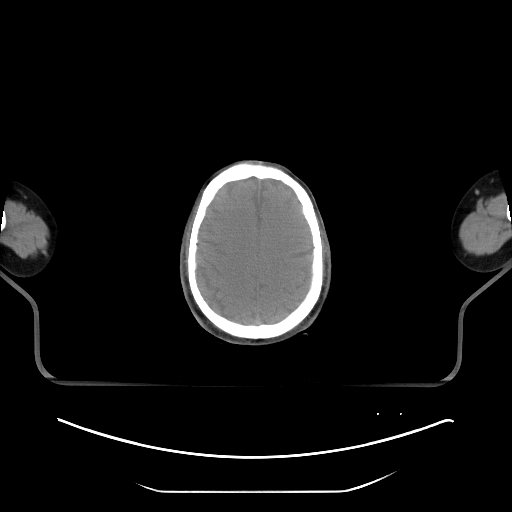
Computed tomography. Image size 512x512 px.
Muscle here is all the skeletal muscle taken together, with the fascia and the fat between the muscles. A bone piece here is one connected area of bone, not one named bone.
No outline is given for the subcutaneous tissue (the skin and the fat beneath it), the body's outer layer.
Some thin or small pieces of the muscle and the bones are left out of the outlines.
Outlines (x, y in pixels):
muscle 1: (501, 189) (504, 189) (505, 190) (508, 201) (505, 204) (505, 211) (506, 212) (507, 219) (509, 221) (511, 221) (511, 239) (497, 252) (491, 255) (475, 256) (467, 253) (462, 248) (458, 238) (458, 229) (462, 220) (473, 206) (475, 202) (479, 198) (486, 194)
muscle 2: (6, 195) (20, 202) (22, 202) (25, 205) (30, 207) (41, 216) (45, 221) (49, 228) (49, 231) (50, 232) (49, 247) (46, 255) (33, 260) (18, 260) (15, 258) (6, 256) (0, 251) (0, 231) (2, 231) (6, 225) (6, 212) (3, 210) (4, 208) (4, 199)
muscle 3: (200, 196) (197, 205) (197, 208) (192, 221) (189, 239) (188, 240) (188, 247) (187, 248) (187, 255) (186, 256) (186, 271) (187, 272) (187, 280) (187, 278) (186, 277) (185, 275) (185, 269) (184, 268) (184, 262) (183, 261) (184, 260) (184, 242) (185, 241) (185, 236) (186, 235) (186, 231) (189, 221)
muscle 4: (315, 209) (319, 218) (321, 227) (324, 233) (324, 237) (327, 246) (326, 275) (325, 276) (323, 286) (323, 278) (324, 277) (323, 245) (322, 244) (322, 238) (320, 232) (320, 226) (319, 225) (319, 222) (318, 221) (318, 218)
muscle 5: (304, 320) (304, 321) (295, 330) (294, 330) (293, 331) (291, 331) (290, 332) (288, 332) (289, 332) (291, 330) (292, 330) (294, 328) (295, 328) (299, 324) (300, 324)
muscle 6: (207, 319) (214, 326) (215, 326) (218, 329) (219, 329) (220, 330) (219, 330) (218, 329) (217, 329) (215, 327) (214, 327) (211, 324) (210, 324) (207, 321)
right arm: (13, 179) (25, 184) (40, 196) (51, 211) (56, 221) (58, 229) (58, 244) (57, 245) (57, 250) (53, 260) (47, 268) (41, 273) (35, 276) (27, 277) (26, 278) (11, 275) (0, 267) (0, 225) (2, 220) (2, 215) (4, 208) (4, 199) (8, 192) (11, 180)
bones: (246, 160) (276, 166) (303, 186) (314, 207) (322, 245) (323, 277) (322, 288) (317, 302) (309, 314) (295, 327) (281, 335) (270, 338) (253, 339) (237, 337) (218, 328) (201, 312) (193, 299) (188, 283) (187, 256) (189, 240) (202, 192) (208, 182) (220, 171) (234, 163), around a hole outlined by (251, 177) (259, 180) (272, 179) (280, 181) (293, 191) (300, 204) (301, 213) (308, 226) (312, 245) (310, 280) (307, 291) (303, 298) (291, 311) (281, 319) (271, 323) (241, 323) (218, 313) (211, 307) (202, 294) (196, 273) (199, 231) (208, 206) (224, 185)
brain: (251, 177) (259, 180) (272, 179) (280, 181) (293, 191) (300, 204) (301, 213) (308, 226) (312, 245) (310, 280) (307, 291) (303, 298) (291, 311) (281, 319) (271, 323) (241, 323) (218, 313) (211, 307) (202, 294) (196, 273) (199, 231) (208, 206) (224, 185)
left arm: (495, 168) (499, 172) (501, 182) (506, 193) (508, 201) (507, 203) (508, 204) (508, 210) (510, 213) (510, 217) (511, 218) (511, 261) (496, 271) (482, 273) (468, 269) (462, 265) (456, 259) (450, 245) (449, 230) (453, 213) (458, 202) (464, 193) (479, 177) (486, 172)
head: (241, 158) (257, 158) (283, 164) (309, 186) (321, 212) (331, 249) (332, 275) (330, 288) (325, 303) (313, 324) (300, 334) (294, 335) (287, 340) (260, 347) (230, 344) (221, 341) (202, 328) (192, 315) (184, 299) (178, 268) (182, 231) (200, 186) (214, 170) (228, 162)